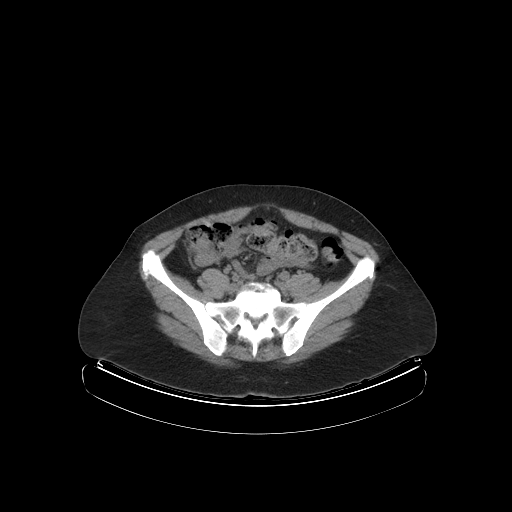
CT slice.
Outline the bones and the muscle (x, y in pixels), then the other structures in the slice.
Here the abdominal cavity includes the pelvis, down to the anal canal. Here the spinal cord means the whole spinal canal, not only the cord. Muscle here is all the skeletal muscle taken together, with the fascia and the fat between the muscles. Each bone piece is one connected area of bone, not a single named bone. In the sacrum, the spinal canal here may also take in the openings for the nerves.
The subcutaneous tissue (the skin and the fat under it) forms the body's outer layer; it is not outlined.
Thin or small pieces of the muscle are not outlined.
The bones are outlined by [[149,249],[171,280],[203,303],[231,300],[252,281],[270,283],[285,302],[313,302],[341,285],[366,255],[374,277],[327,304],[293,354],[285,355],[276,335],[263,339],[254,357],[251,344],[233,332],[218,356],[204,344],[192,309],[153,276],[143,278]], around a hole outlined by [[252,319],[253,319],[254,319],[255,319],[256,319],[257,319],[258,319],[259,320],[259,321],[258,322],[258,323],[257,324],[257,325],[256,326],[256,327],[255,327],[254,326],[253,325],[253,324],[253,323],[252,322],[252,321],[252,320]]. The muscle appears in 2 outlined pieces: piece 1: [[259,201],[272,201],[274,203],[280,206],[286,208],[289,208],[290,209],[293,209],[296,211],[299,211],[311,215],[322,221],[329,223],[341,230],[351,233],[357,237],[359,237],[369,242],[378,253],[380,260],[377,267],[376,277],[373,282],[373,285],[369,294],[369,296],[357,314],[357,317],[356,318],[356,325],[353,329],[353,331],[352,331],[344,339],[338,342],[332,347],[327,348],[317,353],[315,353],[307,359],[305,359],[299,363],[295,363],[287,367],[282,367],[280,369],[274,367],[271,364],[266,362],[244,362],[234,369],[222,369],[219,368],[218,366],[211,364],[197,357],[192,353],[174,345],[170,342],[159,330],[153,327],[149,321],[149,317],[153,309],[153,300],[151,297],[150,293],[146,288],[144,282],[141,279],[139,275],[137,269],[138,268],[137,267],[137,259],[142,244],[144,242],[145,239],[157,234],[164,229],[168,229],[171,226],[175,225],[178,223],[195,219],[199,216],[206,215],[219,209],[233,207],[236,205],[242,205],[248,203],[255,203]] with a hole at [[258,208],[338,236],[354,267],[373,259],[374,277],[327,304],[293,354],[276,335],[254,357],[233,332],[218,356],[192,309],[143,278],[142,255],[158,254],[189,296],[220,300],[230,283],[219,269],[205,269],[199,289],[165,258],[186,229],[235,224]]; piece 2: [[304,273],[312,274],[315,277],[318,278],[319,281],[322,284],[328,281],[340,280],[348,274],[348,275],[341,284],[325,296],[309,302],[302,300],[295,302],[293,300],[293,298],[288,293],[288,290],[286,288],[286,282],[290,276],[294,274],[303,274]]. The torso is outlined by [[232,183],[305,186],[333,195],[360,211],[384,235],[429,299],[437,321],[437,339],[433,349],[419,360],[411,358],[360,383],[318,395],[287,399],[255,395],[243,398],[214,397],[188,393],[87,356],[77,338],[82,304],[133,229],[182,198]]. The abdominal cavity is outlined by [[258,208],[273,208],[296,226],[338,236],[353,267],[323,283],[310,272],[290,275],[285,288],[293,301],[283,300],[270,282],[252,280],[233,298],[217,301],[230,287],[219,269],[205,269],[196,280],[199,289],[172,272],[165,258],[186,229],[235,224]]. The spinal cord appears in 3 outlined pieces: piece 1: [[252,319],[253,319],[254,319],[255,319],[256,319],[257,319],[258,319],[259,320],[259,321],[258,322],[258,323],[257,324],[257,325],[256,326],[256,327],[255,327],[254,326],[253,325],[253,324],[253,323],[252,322],[252,321],[252,320]]; piece 2: [[245,313],[246,313],[247,313],[248,314],[248,315],[248,316],[247,317],[246,317],[245,317],[244,316],[244,315],[244,314]]; piece 3: [[264,314],[265,314],[266,314],[267,315],[267,316],[267,317],[266,318],[265,318],[264,318],[263,317],[263,316],[263,315]].